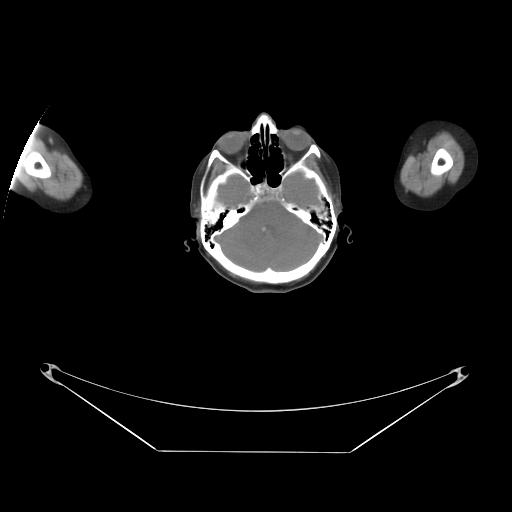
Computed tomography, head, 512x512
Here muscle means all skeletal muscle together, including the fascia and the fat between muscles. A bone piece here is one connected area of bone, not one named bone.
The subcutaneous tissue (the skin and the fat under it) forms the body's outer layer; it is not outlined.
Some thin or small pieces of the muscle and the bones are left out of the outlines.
The muscle appears in 7 outlined pieces: piece 1: 441,130 448,131 461,145 464,151 464,156 465,157 464,168 459,179 453,185 448,184 444,185 434,195 427,198 422,198 413,193 405,192 400,183 399,176 401,168 407,156 416,147 421,138 432,131 437,132; inner edge: 439,148 444,148 450,154 450,155 452,157 452,159 453,160 453,164 452,165 452,166 447,171 444,172 441,175 433,175 430,172 430,167 431,166 431,163 432,162 432,160 433,159 433,157 434,156 436,151; piece 2: 38,124 45,130 47,134 49,134 53,138 55,143 63,149 82,173 83,185 71,198 67,200 57,200 46,195 40,190 31,192 23,186 15,177 12,176 15,173 15,164 18,155 25,145 26,140 32,138, around a hole outlined by 32,150 37,150 41,154 41,155 49,166 50,168 50,170 51,171 51,175 49,177 47,178 39,178 38,177 35,177 34,176 32,176 28,174 24,170 23,170 23,166 26,160 26,157 27,155; piece 3: 321,152 328,162 329,169 333,178 333,184 335,187 335,192 338,200 338,211 336,214 332,197 328,191 328,188 325,182 316,171 309,167 305,163 306,159 311,154 315,155 317,158 320,158 321,157; piece 4: 215,159 218,159 220,161 221,161 225,165 225,168 224,169 224,170 222,172 221,172 220,173 218,173 213,178 213,179 206,186 206,179 207,178 207,175 208,174 208,173 210,170 210,168 211,167 211,166; piece 5: 207,159 206,165 205,166 205,169 199,182 199,198 200,199 200,210 199,211 199,217 196,214 194,210 194,206 196,202 196,195 197,194 198,181 200,178 200,172 201,171 202,166 204,165 204,163; piece 6: 217,262 219,264 220,264 227,271 228,271 229,272 230,272 239,277 241,277 244,279 247,279 248,280 250,280 251,281 253,281 254,282 258,282 259,283 265,283 259,283 258,284 254,284 253,283 250,283 249,282 246,282 245,281 243,281 242,280 240,280 239,279 237,279 236,278 234,278 233,277 232,277 230,275 229,275 217,263; piece 7: 321,259 321,260 319,262 319,263 317,265 315,269 307,277 297,282 295,282 294,283 288,283 287,284 279,284 284,284 285,283 288,283 289,282 291,282 292,281 297,280 305,276 315,267 315,266. The left arm is outlined by 433,117 440,117 453,120 463,125 469,130 474,137 478,148 478,154 479,155 478,167 475,176 472,181 464,189 458,192 445,206 434,211 418,211 406,207 397,199 393,188 393,177 403,145 410,132 421,121. The bones appear in 3 outlined pieces: piece 1: 261,113 268,114 278,129 278,135 271,136 275,143 278,141 281,150 285,153 285,165 287,167 297,161 311,144 318,146 320,157 311,153 304,163 316,172 324,182 331,197 337,219 337,225 329,248 314,267 297,279 277,284 254,281 227,270 204,248 199,231 200,182 206,169 210,152 217,149 225,158 237,165 239,160 245,156 248,148 249,130; inner edges: 271,200 276,200 287,212 293,214 304,224 312,228 320,236 320,239 313,253 305,261 292,268 280,270 267,266 261,270 251,269 235,262 226,255 217,238 226,230 234,226 241,218 246,216 256,204, then 254,136 257,136 257,157 266,168 266,157 270,156 271,148 280,150 282,166 277,173 279,181 276,185 268,182 266,170 260,181 252,181 254,175 246,163 250,157 249,150 254,143, then 295,173 300,173 305,179 308,180 311,179 313,180 317,188 317,194 316,197 320,203 319,204 312,204 305,208 298,205 293,201 287,200 284,196 280,195 283,190 284,183 286,179 289,176, then 232,176 239,176 246,182 248,186 248,190 251,194 251,196 250,196 246,201 240,201 236,204 228,206 222,201 218,200 218,195 219,194 218,190 219,189 219,186 220,185 223,185 225,184 228,181 228,179, then 215,159 218,159 220,161 221,161 225,165 225,168 224,169 224,170 222,172 221,172 220,173 218,173 213,178 213,179 206,186 206,179 207,178 207,175 208,174 208,173 210,170 210,168 211,167 211,166; piece 2: 32,150 37,150 41,154 41,155 49,166 50,168 50,170 51,171 51,175 49,177 47,178 39,178 38,177 35,177 34,176 32,176 28,174 24,170 23,170 23,166 26,160 26,157 27,155; piece 3: 439,148 444,148 450,154 450,155 452,157 452,159 453,160 453,164 452,165 452,166 447,171 444,172 441,175 433,175 430,172 430,167 431,166 431,163 432,162 432,160 433,159 433,157 434,156 436,151. The head is outlined by 262,111 278,128 304,126 332,157 345,211 338,220 351,229 352,242 347,243 343,229 331,260 311,283 285,293 237,286 213,270 195,241 188,241 189,251 183,243 195,234 189,215 195,168 225,129 249,130 with a hole at 254,136 257,136 257,157 266,168 266,157 270,156 271,148 280,150 282,166 277,173 279,181 276,185 268,182 266,170 260,181 252,181 254,175 246,163 250,157 249,150 254,143. The right arm is outlined by 38,122 53,128 65,139 75,156 91,177 93,184 93,196 85,207 75,213 67,215 58,215 51,213 42,209 35,203 18,196 11,190 10,191 12,187 8,180 14,173 18,155 26,140 32,138. The brain appears in 3 outlined pieces: piece 1: 271,200 276,200 287,212 293,214 304,224 312,228 320,236 320,239 313,253 305,261 292,268 280,270 267,266 261,270 251,269 235,262 226,255 217,238 226,230 234,226 241,218 246,216 256,204; piece 2: 295,173 300,173 305,179 308,180 311,179 313,180 317,188 317,194 316,197 320,203 319,204 312,204 305,208 298,205 293,201 287,200 284,196 280,195 283,190 284,183 286,179 289,176; piece 3: 232,176 239,176 246,182 248,186 248,190 251,194 251,196 250,196 246,201 240,201 236,204 228,206 222,201 218,200 218,195 219,194 218,190 219,189 219,186 220,185 223,185 225,184 228,181 228,179.